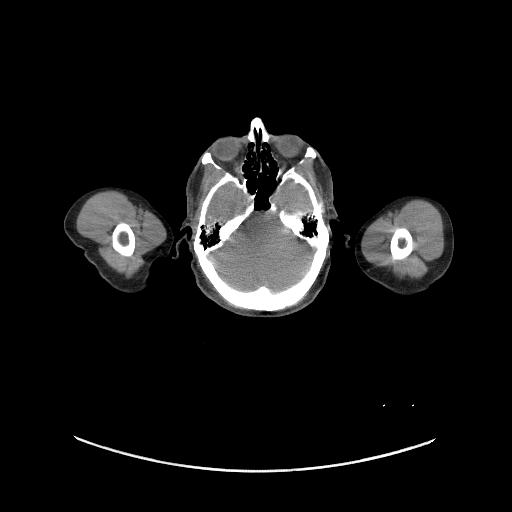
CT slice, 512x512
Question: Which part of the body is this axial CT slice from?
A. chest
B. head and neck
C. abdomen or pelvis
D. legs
Answer: B. head and neck
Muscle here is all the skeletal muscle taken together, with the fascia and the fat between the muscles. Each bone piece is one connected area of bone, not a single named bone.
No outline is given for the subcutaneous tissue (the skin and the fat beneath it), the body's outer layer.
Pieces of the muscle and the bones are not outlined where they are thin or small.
{"left_arm":[[[406,194],[421,194],[429,196],[440,202],[450,216],[454,235],[453,256],[450,266],[447,271],[442,277],[438,279],[427,289],[411,296],[402,296],[396,294],[368,277],[360,269],[357,264],[354,254],[356,235],[362,224],[385,204],[394,198]]],"muscle":[{"outer":[[106,190],[119,191],[128,197],[137,197],[141,199],[148,209],[160,220],[166,231],[165,240],[149,254],[146,263],[131,278],[128,279],[110,268],[99,256],[96,249],[96,244],[90,239],[82,236],[76,229],[76,218],[85,201],[92,195]],"hole":[[119,222],[125,222],[129,224],[130,227],[133,231],[133,233],[135,237],[135,246],[134,247],[134,250],[133,251],[133,253],[130,256],[124,256],[123,255],[121,255],[113,248],[113,246],[112,245],[112,237],[111,236],[112,235],[112,232],[115,226]]},{"outer":[[412,199],[422,199],[431,203],[441,214],[444,234],[444,250],[441,256],[434,261],[433,266],[423,277],[419,279],[410,279],[407,277],[399,279],[390,273],[373,267],[365,259],[361,251],[361,240],[365,230],[377,218],[387,211],[399,209],[407,201]],"hole":[[397,227],[404,227],[409,231],[409,232],[411,234],[412,240],[413,241],[413,249],[412,251],[406,257],[402,259],[396,259],[395,260],[393,260],[392,259],[392,257],[391,256],[391,252],[390,251],[390,241],[391,240],[391,237],[393,234],[394,229]]},[[207,164],[212,165],[214,168],[217,170],[222,171],[223,173],[218,180],[209,188],[200,205],[198,220],[195,226],[195,231],[191,222],[191,217],[194,208],[192,203],[192,198],[194,196],[194,193],[196,189],[196,185],[202,172],[203,165],[206,165]],[[307,158],[315,159],[325,180],[325,190],[327,193],[327,198],[328,199],[327,210],[326,211],[327,213],[326,223],[323,217],[324,205],[322,200],[318,199],[315,191],[310,183],[296,170],[296,166],[297,165],[301,165],[305,161],[305,159]],[[197,260],[202,272],[213,286],[215,290],[222,297],[222,298],[224,300],[225,300],[229,304],[235,307],[233,307],[230,305],[228,305],[222,300],[221,300],[207,285],[207,284],[204,280],[204,278],[202,275],[202,272],[201,270],[197,266]],[[318,276],[318,279],[317,280],[316,283],[312,288],[312,289],[311,290],[309,295],[304,300],[303,300],[301,302],[298,303],[298,302],[299,301],[300,301],[303,298],[303,297],[311,288],[312,285],[314,283],[314,282],[316,280],[316,279]]],"bones":[{"outer":[[255,117],[271,136],[260,154],[265,155],[268,167],[264,163],[263,171],[255,177],[250,151],[242,165],[247,188],[251,193],[257,189],[255,207],[268,207],[278,168],[284,171],[295,166],[321,200],[322,217],[329,226],[326,254],[310,288],[296,304],[273,311],[229,303],[203,272],[193,247],[201,205],[224,173],[210,163],[202,164],[201,156],[209,152],[224,171],[239,176],[247,145],[250,150],[253,146],[246,135]],"holes":[[[253,213],[263,214],[265,216],[276,214],[281,224],[280,231],[282,233],[286,233],[289,230],[313,249],[309,265],[303,275],[295,283],[281,290],[274,291],[263,284],[251,290],[237,289],[220,276],[214,261],[210,257],[210,254],[229,240],[231,235]],[[226,185],[229,185],[231,186],[232,188],[239,191],[246,204],[243,210],[241,212],[236,213],[224,221],[222,221],[218,218],[213,218],[210,221],[208,221],[207,219],[207,212],[210,203],[212,200],[212,198],[219,188],[222,186],[225,186]],[[289,181],[291,181],[296,185],[297,184],[303,187],[307,193],[309,203],[311,206],[310,208],[307,207],[304,209],[297,209],[292,212],[289,212],[283,208],[279,208],[278,207],[276,200],[278,198],[278,196],[282,191],[284,186],[285,186]]]},[[119,222],[125,222],[129,224],[130,227],[133,231],[133,233],[135,237],[135,246],[134,247],[134,250],[133,251],[133,253],[130,256],[124,256],[123,255],[121,255],[113,248],[113,246],[112,245],[112,237],[111,236],[112,235],[112,232],[115,226]],[[397,227],[404,227],[409,231],[409,232],[411,234],[412,240],[413,241],[413,249],[412,251],[406,257],[402,259],[396,259],[395,260],[393,260],[392,259],[392,257],[391,256],[391,252],[390,251],[390,241],[391,240],[391,237],[393,234],[394,229]],[[308,146],[311,146],[313,148],[314,148],[314,149],[316,152],[316,157],[315,158],[312,158],[311,157],[307,157],[304,159],[304,161],[301,164],[298,164],[298,162],[304,156],[304,154],[305,153],[305,151],[306,150],[306,148]]],"head":[{"outer":[[255,117],[268,133],[295,133],[320,153],[340,219],[331,229],[350,235],[348,249],[341,235],[333,242],[326,282],[314,300],[281,317],[241,316],[214,303],[195,282],[184,240],[172,258],[175,243],[190,233],[179,227],[198,158],[221,134],[246,135]],"hole":[[265,143],[268,144],[269,153],[276,163],[276,184],[267,196],[267,207],[258,208],[258,189],[251,192],[248,188],[243,165],[250,152],[254,177],[257,178],[264,171],[264,164],[267,169],[269,163],[266,155],[261,155],[267,150]]}],"brain":[[[253,213],[263,214],[265,216],[276,214],[281,224],[280,231],[282,233],[286,233],[289,230],[313,249],[309,265],[303,275],[295,283],[281,290],[274,291],[263,284],[251,290],[237,289],[220,276],[214,261],[210,257],[210,254],[229,240],[231,235]],[[226,185],[229,185],[231,186],[232,188],[239,191],[246,204],[243,210],[241,212],[236,213],[224,221],[222,221],[218,218],[213,218],[210,221],[208,221],[207,219],[207,212],[210,203],[212,200],[212,198],[219,188],[222,186],[225,186]],[[289,181],[291,181],[296,185],[297,184],[303,187],[307,193],[309,203],[311,206],[310,208],[307,207],[304,209],[297,209],[292,212],[289,212],[283,208],[279,208],[278,207],[276,200],[278,198],[278,196],[282,191],[284,186],[285,186]]],"right_arm":[[[101,186],[120,186],[136,191],[164,217],[172,229],[174,244],[168,255],[164,258],[158,258],[152,263],[149,284],[145,289],[137,293],[125,293],[110,286],[98,274],[94,266],[84,257],[82,250],[75,246],[64,233],[63,220],[70,206],[82,194]]]}